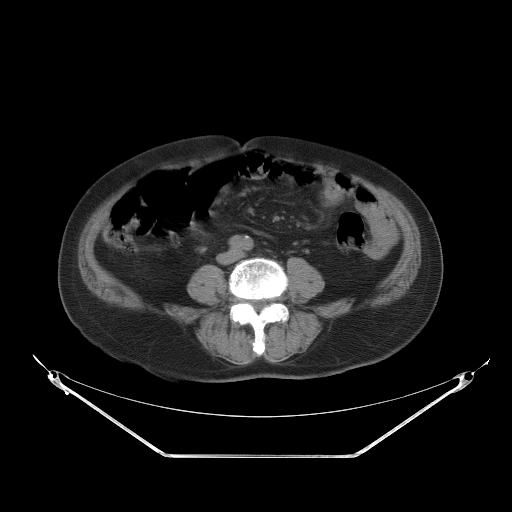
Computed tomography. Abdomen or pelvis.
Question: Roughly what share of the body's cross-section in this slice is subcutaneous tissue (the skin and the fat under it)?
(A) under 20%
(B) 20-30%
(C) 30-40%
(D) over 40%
Answer: (C) 30-40%
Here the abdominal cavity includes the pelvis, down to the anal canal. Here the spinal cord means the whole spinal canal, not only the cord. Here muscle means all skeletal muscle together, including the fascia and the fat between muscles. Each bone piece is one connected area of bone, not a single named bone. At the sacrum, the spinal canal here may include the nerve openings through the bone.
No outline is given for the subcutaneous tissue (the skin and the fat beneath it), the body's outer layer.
The torso is outlined by 260,132 295,134 356,151 395,172 418,194 434,220 443,254 439,298 423,330 393,356 342,373 310,379 260,377 215,383 166,380 89,343 68,319 57,287 62,233 86,188 117,162 164,141 226,133 243,142. The bones are outlined by 254,257 276,261 283,268 288,279 286,289 277,299 287,307 289,312 288,319 285,322 275,321 264,326 265,350 260,356 252,349 254,330 251,325 232,322 229,315 230,306 235,301 228,288 229,275 238,262, around a hole outlined by 251,300 266,300 268,302 268,303 266,305 265,305 258,312 257,312 254,309 254,308 253,307 253,306 249,302 249,301 250,301. The abdominal cavity is outlined by 257,148 291,164 351,177 395,218 403,235 400,255 361,301 308,303 326,283 298,256 287,258 285,271 271,258 244,258 227,279 217,265 201,265 185,286 199,307 146,302 99,263 94,244 109,210 142,176. The spinal cord is outlined by 251,300 266,300 268,302 268,303 266,305 265,305 258,312 257,312 254,309 254,308 253,307 253,306 249,302 249,301 250,301. The muscle is outlined by 255,144 266,146 276,152 279,156 284,157 289,156 296,160 302,160 306,162 321,162 323,164 331,164 344,170 349,171 356,175 359,175 374,184 381,186 391,192 401,200 409,210 418,227 420,234 420,242 421,243 421,264 418,269 415,279 407,292 401,298 387,305 383,305 376,308 367,307 354,311 352,313 347,313 336,318 332,322 330,328 327,330 325,329 313,341 305,352 295,354 280,363 271,363 261,358 245,365 236,366 222,358 212,356 202,347 194,334 187,327 186,329 185,327 179,324 170,317 166,315 160,316 147,311 145,312 135,311 115,305 109,305 92,294 82,280 78,267 77,251 78,250 78,242 80,234 88,218 94,210 105,199 109,197 111,194 116,192 133,177 143,170 152,165 164,161 177,160 178,159 188,159 201,155 205,155 212,152 219,152 220,151 227,152 234,149 242,148; inner edge: 257,148 282,161 330,169 363,184 395,218 403,235 393,268 356,303 354,297 308,303 324,289 325,280 302,257 288,257 287,287 277,300 287,307 289,316 285,322 264,326 265,350 260,356 252,349 251,325 230,319 235,298 225,272 217,265 201,265 185,286 187,294 204,306 173,302 154,305 104,268 94,253 112,204 145,174 159,167 197,167.